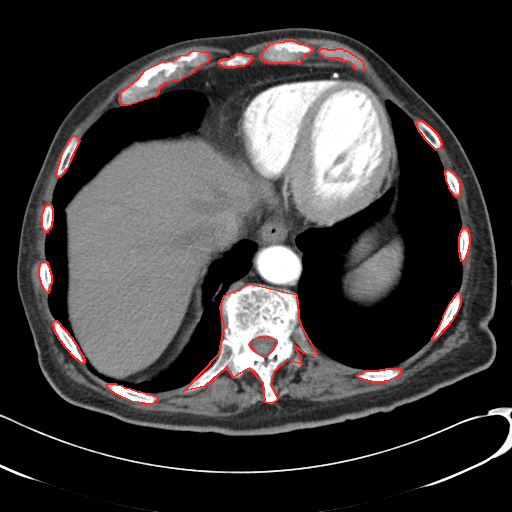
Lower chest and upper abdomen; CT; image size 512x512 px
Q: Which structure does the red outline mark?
A: red: bones.
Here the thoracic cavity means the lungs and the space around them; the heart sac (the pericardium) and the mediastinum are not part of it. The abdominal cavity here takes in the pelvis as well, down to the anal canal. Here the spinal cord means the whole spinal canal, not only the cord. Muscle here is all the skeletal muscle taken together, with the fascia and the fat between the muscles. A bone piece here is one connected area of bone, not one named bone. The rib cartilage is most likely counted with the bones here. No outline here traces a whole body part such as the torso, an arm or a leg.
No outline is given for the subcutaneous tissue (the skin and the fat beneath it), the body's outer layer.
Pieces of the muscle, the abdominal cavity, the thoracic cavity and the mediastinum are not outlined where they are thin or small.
The bones appear in 15 outlined pieces: piece 1: (249, 283) (296, 294) (299, 323) (317, 355) (304, 353) (294, 345) (301, 364) (287, 359) (273, 372) (270, 384) (277, 399) (272, 403) (265, 402) (263, 383) (249, 368) (233, 377) (226, 367) (204, 386) (183, 391) (219, 353) (224, 326) (220, 307) (224, 295); inner edge: (260, 336) (268, 336) (269, 337) (271, 337) (275, 339) (276, 341) (276, 343) (274, 347) (272, 349) (272, 350) (266, 356) (263, 356) (257, 353) (255, 351) (254, 351) (251, 348) (249, 344) (250, 342) (253, 339) (257, 337) (259, 337); piece 2: (193, 50) (207, 52) (209, 55) (209, 59) (207, 62) (194, 69) (193, 72) (179, 80) (173, 80) (164, 83) (158, 89) (158, 92) (155, 96) (128, 105) (122, 105) (120, 103) (119, 101) (120, 92) (137, 79) (145, 69) (160, 62) (173, 60) (180, 55) (187, 54); piece 3: (285, 40) (293, 40) (298, 43) (301, 43) (307, 45) (312, 48) (312, 51) (307, 54) (305, 54) (300, 60) (299, 63) (281, 63) (280, 62) (277, 63) (269, 63) (268, 62) (265, 62) (261, 59) (260, 56) (261, 53) (268, 45) (274, 42) (284, 41); piece 4: (108, 383) (115, 383) (116, 384) (121, 385) (124, 387) (130, 388) (137, 391) (140, 391) (145, 393) (149, 393) (156, 396) (158, 398) (157, 400) (156, 400) (152, 404) (145, 404) (144, 403) (139, 403) (138, 402) (131, 401) (114, 393) (110, 390) (107, 387) (107, 384); piece 5: (386, 368) (399, 368) (400, 369) (400, 373) (397, 376) (387, 381) (384, 381) (383, 382) (372, 382) (371, 381) (368, 381) (367, 380) (364, 380) (363, 379) (361, 379) (357, 376) (357, 375) (359, 373) (362, 372) (364, 370) (379, 370) (380, 369) (385, 369); piece 6: (54, 320) (56, 320) (72, 338) (72, 339) (76, 344) (79, 351) (83, 356) (83, 358) (84, 359) (84, 362) (83, 363) (81, 363) (77, 359) (76, 359) (64, 346) (64, 345) (62, 343) (62, 342) (60, 340) (54, 330) (54, 327) (53, 326) (53, 321); piece 7: (321, 48) (326, 48) (327, 49) (335, 49) (336, 48) (341, 48) (344, 50) (346, 50) (361, 60) (363, 64) (363, 69) (362, 70) (356, 69) (350, 62) (343, 60) (342, 59) (340, 59) (339, 58) (328, 58) (327, 57) (326, 58) (320, 54) (319, 50); piece 8: (458, 292) (460, 293) (460, 304) (459, 305) (459, 307) (455, 315) (453, 317) (452, 320) (449, 323) (449, 324) (441, 332) (441, 333) (435, 339) (433, 340) (432, 339) (432, 337) (435, 333) (435, 332) (437, 330) (443, 318) (443, 316) (450, 302) (455, 296) (455, 295); piece 9: (73, 135) (75, 135) (78, 138) (79, 141) (73, 152) (73, 154) (70, 159) (70, 161) (66, 169) (64, 171) (64, 172) (59, 177) (58, 177) (56, 175) (56, 172) (57, 171) (57, 168) (58, 167) (58, 165) (59, 164) (59, 162) (60, 161) (62, 153) (68, 141); piece 10: (416, 120) (421, 120) (422, 121) (423, 121) (426, 124) (427, 124) (437, 134) (437, 135) (439, 137) (439, 139) (441, 142) (441, 146) (439, 149) (437, 149) (436, 150) (424, 138) (424, 137) (422, 135) (422, 134) (419, 131) (419, 130) (415, 123) (415, 121); piece 11: (237, 53) (240, 53) (241, 54) (244, 54) (245, 55) (250, 55) (252, 57) (251, 60) (247, 64) (246, 64) (243, 66) (236, 66) (235, 67) (225, 67) (224, 66) (222, 66) (221, 65) (220, 65) (218, 63) (218, 62) (220, 59) (222, 59) (223, 58) (229, 58); piece 12: (43, 261) (46, 261) (47, 262) (47, 264) (49, 267) (49, 270) (50, 271) (50, 273) (51, 274) (51, 283) (49, 286) (49, 290) (48, 291) (48, 293) (45, 291) (45, 290) (41, 283) (41, 281) (40, 280) (40, 278) (39, 277) (39, 266) (40, 265) (40, 263); piece 13: (463, 227) (466, 227) (467, 228) (467, 230) (468, 231) (468, 233) (469, 234) (469, 245) (468, 246) (468, 249) (467, 250) (466, 255) (465, 256) (463, 261) (461, 261) (461, 259) (460, 258) (460, 253) (459, 252) (459, 236) (460, 235) (461, 230); piece 14: (447, 169) (450, 170) (454, 173) (454, 174) (457, 177) (458, 179) (458, 181) (459, 182) (459, 194) (458, 196) (456, 197) (450, 190) (449, 188) (449, 186) (446, 180) (446, 176) (445, 175) (445, 170); piece 15: (47, 204) (50, 204) (51, 205) (51, 207) (52, 208) (52, 221) (51, 222) (51, 226) (50, 227) (50, 228) (47, 231) (47, 232) (45, 232) (42, 227) (42, 222) (41, 221) (41, 220) (42, 219) (42, 213) (43, 212) (43, 210) (44, 209) (45, 206). The mediastinum appears in 2 outlined pieces: piece 1: (267, 210) (284, 212) (302, 224) (316, 227) (305, 230) (295, 238) (295, 243) (302, 252) (302, 270) (296, 283) (295, 292) (253, 282) (246, 283) (237, 289) (230, 288) (231, 286) (235, 286) (249, 272) (253, 265) (252, 257) (257, 250) (257, 244) (252, 238) (266, 217); piece 2: (258, 60) (269, 64) (346, 65) (361, 72) (379, 93) (363, 80) (353, 75) (309, 71) (257, 81) (231, 95) (220, 107) (214, 105) (210, 94) (205, 90) (179, 89) (157, 95) (159, 89) (164, 84) (179, 81) (214, 62) (225, 68) (235, 68) (243, 67) (252, 61). The abdominal cavity appears in 2 outlined pieces: piece 1: (202, 91) (209, 94) (216, 108) (222, 107) (221, 147) (249, 171) (259, 199) (266, 207) (265, 217) (251, 239) (239, 241) (209, 266) (202, 285) (200, 320) (175, 361) (149, 380) (116, 379) (90, 363) (68, 320) (64, 210) (76, 192) (131, 142) (195, 130) (208, 105); piece 2: (396, 186) (397, 186) (398, 194) (396, 215) (405, 244) (405, 258) (401, 280) (389, 296) (381, 302) (370, 307) (362, 307) (348, 301) (342, 295) (340, 278) (342, 274) (341, 266) (343, 261) (343, 255) (350, 245) (352, 239) (361, 230) (369, 226) (372, 222) (387, 213). The muscle appears in 4 outlined pieces: piece 1: (442, 142) (462, 177) (473, 225) (469, 340) (404, 381) (384, 389) (328, 401) (277, 400) (272, 376) (287, 360) (296, 366) (302, 364) (300, 355) (295, 353) (296, 344) (302, 353) (317, 356) (310, 342) (333, 360) (363, 370) (356, 375) (359, 379) (383, 383) (401, 373) (399, 367) (393, 367) (410, 358) (431, 339) (435, 340) (453, 320) (461, 304) (458, 291) (470, 234) (461, 224) (456, 199) (460, 194) (459, 179) (453, 171) (444, 169) (437, 152); piece 2: (65, 145) (55, 172) (58, 179) (51, 204) (47, 203) (41, 213) (41, 227) (46, 233) (46, 260) (38, 266) (38, 277) (48, 294) (49, 308) (55, 319) (53, 330) (63, 346) (108, 382) (106, 387) (110, 391) (131, 402) (152, 405) (159, 398) (150, 393) (180, 387) (185, 393) (198, 390) (228, 368) (233, 378) (245, 370) (255, 372) (263, 386) (264, 403) (221, 417) (144, 411) (80, 384) (61, 370) (37, 307) (30, 268) (40, 196); piece 3: (302, 37) (335, 40) (343, 43) (359, 52) (369, 62) (377, 75) (379, 76) (389, 89) (405, 104) (405, 106) (412, 113) (423, 120) (416, 119) (414, 121) (393, 101) (384, 97) (366, 78) (364, 74) (360, 71) (362, 71) (364, 69) (364, 64) (362, 60) (359, 57) (341, 47) (335, 48) (321, 47) (318, 50) (319, 54) (326, 59) (327, 58) (328, 59) (339, 59) (348, 62) (353, 67) (346, 64) (336, 65) (335, 64) (320, 64) (319, 63) (302, 63) (301, 60) (305, 55) (311, 53) (313, 51) (313, 48) (307, 44) (298, 42) (293, 39) (278, 40) (268, 44) (261, 51) (259, 56) (260, 59) (257, 60) (252, 60) (253, 57) (250, 54) (237, 52) (241, 52) (245, 48) (250, 46) (274, 39) (301, 38); piece 4: (199, 45) (224, 48) (233, 53) (236, 53) (229, 57) (220, 58) (218, 61) (214, 61) (213, 63) (210, 63) (205, 67) (194, 71) (207, 63) (210, 59) (210, 55) (207, 51) (193, 49) (187, 53) (182, 53) (173, 59) (160, 61) (145, 68) (137, 78) (119, 92) (118, 101) (121, 105) (113, 106) (107, 109) (88, 128) (80, 139) (75, 134) (73, 134) (68, 140) (74, 128) (100, 101) (108, 95) (112, 89) (130, 74) (158, 56) (180, 48). The pericardium is outlined by (309, 72) (353, 76) (363, 81) (379, 94) (389, 116) (396, 151) (395, 177) (385, 191) (365, 208) (325, 227) (311, 226) (300, 222) (284, 211) (267, 209) (260, 199) (259, 191) (250, 171) (240, 161) (228, 155) (221, 144) (220, 113) (226, 100) (240, 90) (257, 82). The thoracic cavity appears in 3 outlined pieces: piece 1: (387, 99) (440, 160) (460, 218) (461, 281) (420, 349) (392, 367) (362, 369) (323, 353) (300, 323) (296, 291) (303, 252) (296, 238) (353, 216) (392, 187) (386, 213) (343, 253) (339, 284) (343, 298) (362, 308) (381, 303) (400, 284) (406, 258) (397, 215) (401, 169); piece 2: (179, 90) (199, 91) (206, 96) (207, 105) (197, 127) (174, 135) (131, 141) (106, 161) (75, 192) (63, 210) (67, 270) (66, 313) (81, 352) (73, 338) (54, 317) (49, 303) (52, 274) (46, 258) (46, 237) (53, 221) (52, 200) (56, 185) (84, 134) (107, 110); piece 3: (243, 240) (251, 240) (256, 244) (256, 250) (251, 257) (252, 265) (222, 297) (219, 313) (223, 326) (218, 353) (202, 373) (182, 386) (145, 392) (106, 381) (90, 368) (84, 356) (98, 372) (132, 383) (152, 380) (167, 370) (180, 356) (201, 320) (203, 285) (210, 266). The spinal cord is outlined by (260, 336) (268, 336) (269, 337) (271, 337) (275, 339) (276, 341) (276, 343) (274, 347) (272, 349) (272, 350) (266, 356) (263, 356) (257, 353) (255, 351) (254, 351) (251, 348) (249, 344) (250, 342) (253, 339) (257, 337) (259, 337).